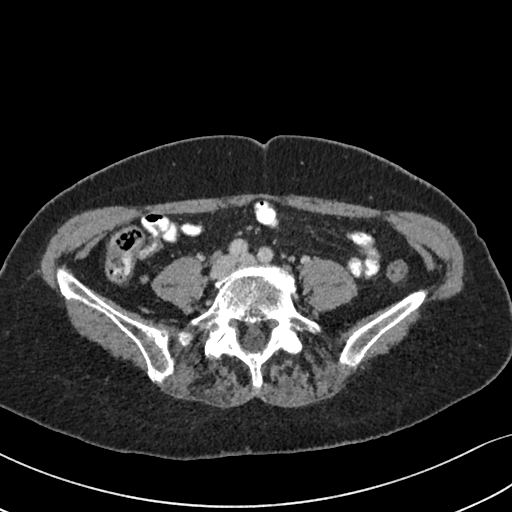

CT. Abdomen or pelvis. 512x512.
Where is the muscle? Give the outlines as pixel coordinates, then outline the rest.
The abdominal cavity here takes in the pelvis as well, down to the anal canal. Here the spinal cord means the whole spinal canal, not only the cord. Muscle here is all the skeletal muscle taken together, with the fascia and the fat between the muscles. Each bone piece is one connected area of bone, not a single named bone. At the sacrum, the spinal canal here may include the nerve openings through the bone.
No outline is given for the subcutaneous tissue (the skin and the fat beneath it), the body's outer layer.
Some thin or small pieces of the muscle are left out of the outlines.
The muscle appears in 3 outlined pieces: piece 1: 260 192; 418 212; 445 224; 461 246; 464 261; 461 291; 429 305; 401 341; 358 368; 345 388; 331 398; 299 407; 282 407; 254 397; 241 405; 221 408; 161 393; 154 384; 158 386; 175 371; 176 361; 169 349; 170 331; 165 326; 146 324; 124 314; 93 290; 146 319; 173 319; 186 324; 172 330; 183 347; 192 343; 195 337; 192 328; 197 328; 205 336; 204 356; 216 360; 223 355; 236 357; 248 367; 251 386; 256 390; 263 385; 262 366; 273 354; 280 350; 291 355; 301 352; 303 344; 299 333; 320 333; 322 326; 341 328; 395 302; 352 329; 345 338; 337 362; 355 370; 370 347; 415 311; 430 291; 427 287; 415 289; 428 276; 423 258; 403 234; 380 217; 321 213; 257 197; 245 204; 213 211; 147 212; 108 231; 82 261; 79 278; 61 264; 55 269; 55 280; 66 300; 78 301; 103 314; 136 345; 144 359; 146 375; 129 360; 114 357; 80 335; 71 324; 61 298; 37 271; 52 235; 66 220; 86 210; piece 2: 315 258; 328 259; 339 263; 352 276; 358 286; 358 289; 355 296; 348 303; 339 305; 326 311; 318 312; 315 315; 313 315; 312 313; 312 307; 306 302; 306 297; 302 288; 299 274; 300 273; 300 268; 305 264; 308 264; 314 260; piece 3: 183 256; 192 256; 197 260; 202 266; 201 274; 205 278; 203 294; 199 299; 193 304; 193 309; 188 312; 185 312; 175 304; 169 301; 164 300; 161 297; 158 296; 153 290; 151 285; 153 279; 166 266; 170 264; 176 259; 180 258. The spinal cord is outlined by 234 320; 242 322; 245 324; 254 324; 259 323; 262 321; 273 320; 275 321; 276 325; 270 331; 269 336; 266 340; 263 348; 261 350; 258 350; 254 352; 245 349; 243 345; 239 342; 238 340; 238 329; 232 326; 231 324; 232 321. The bones appear in 3 outlined pieces: piece 1: 255 265; 274 265; 292 274; 296 310; 322 329; 299 332; 302 348; 296 354; 282 349; 273 353; 261 366; 259 389; 236 356; 205 356; 203 331; 192 327; 194 337; 183 346; 173 330; 186 328; 210 307; 216 284; 230 272 with a hole at 234 320; 242 322; 245 324; 254 324; 259 323; 262 321; 273 320; 275 321; 276 325; 270 331; 269 336; 266 340; 263 348; 261 350; 258 350; 254 352; 245 349; 243 345; 239 342; 238 340; 238 329; 232 326; 231 324; 232 321; piece 2: 61 265; 65 265; 81 282; 107 304; 124 315; 146 325; 157 328; 165 327; 169 331; 168 349; 175 361; 173 373; 158 385; 152 382; 147 375; 147 365; 143 355; 137 345; 123 331; 103 313; 78 300; 64 297; 56 280; 56 269; piece 3: 419 288; 429 289; 428 294; 422 303; 415 310; 412 311; 396 325; 381 335; 369 347; 355 369; 348 367; 346 365; 342 365; 338 362; 339 354; 345 343; 345 340; 352 330; 356 329; 372 320; 387 310; 392 305; 399 301; 406 295. The torso is outlined by 210 134; 244 135; 262 143; 278 134; 337 140; 385 157; 443 191; 475 224; 511 296; 511 360; 505 368; 480 390; 410 427; 364 442; 294 453; 196 460; 123 453; 51 430; 0 407; 0 268; 22 228; 50 198; 86 175; 163 143. The abdominal cavity is outlined by 257 198; 321 214; 380 218; 419 254; 426 269; 423 282; 353 322; 326 327; 303 315; 294 303; 293 274; 274 264; 233 269; 215 284; 209 307; 182 324; 173 318; 146 318; 79 279; 91 250; 108 232; 136 217; 153 212; 213 212, around a hole outlined by 315 258; 328 259; 339 263; 352 276; 358 286; 358 289; 355 296; 348 303; 339 305; 326 311; 318 312; 315 315; 313 315; 312 313; 312 307; 306 302; 306 297; 302 288; 299 274; 300 273; 300 268; 305 264; 308 264; 314 260.